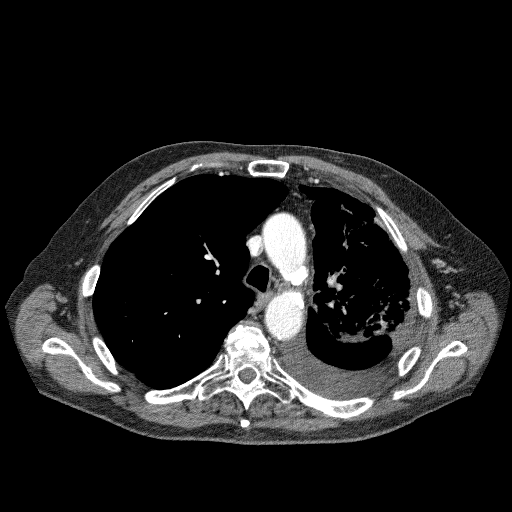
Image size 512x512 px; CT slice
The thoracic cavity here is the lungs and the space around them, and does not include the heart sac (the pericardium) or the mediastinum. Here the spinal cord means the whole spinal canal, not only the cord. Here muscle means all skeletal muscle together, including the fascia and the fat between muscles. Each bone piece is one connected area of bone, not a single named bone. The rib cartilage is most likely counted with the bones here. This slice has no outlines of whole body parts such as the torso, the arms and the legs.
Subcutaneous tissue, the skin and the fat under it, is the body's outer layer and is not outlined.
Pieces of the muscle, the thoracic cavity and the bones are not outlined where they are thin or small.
mediastinum: (292, 174) (311, 176) (329, 185) (298, 187) (314, 200) (310, 209) (315, 230) (311, 242) (312, 288) (317, 292) (307, 310) (303, 331) (288, 339) (276, 356) (260, 327) (251, 321) (239, 322) (255, 298) (243, 282) (250, 261) (246, 235) (288, 193) (282, 182) (269, 177)
spinal cord: (246, 368) (249, 368) (250, 369) (251, 369) (255, 373) (255, 376) (249, 382) (244, 382) (240, 378) (240, 377) (239, 376) (239, 373) (242, 370) (243, 370) (244, 369) (245, 369)
bones 1: (245, 322) (261, 329) (281, 367) (308, 390) (334, 400) (371, 396) (373, 404) (358, 415) (341, 418) (326, 415) (296, 398) (282, 403) (269, 393) (257, 395) (247, 410) (226, 390) (203, 400) (147, 402) (145, 391) (170, 389) (207, 369) (224, 350) (229, 331), around a hole outlined by (246, 368) (249, 368) (250, 369) (251, 369) (255, 373) (255, 376) (249, 382) (244, 382) (240, 378) (240, 377) (239, 376) (239, 373) (242, 370) (243, 370) (244, 369) (245, 369)
bones 2: (50, 337) (58, 337) (65, 341) (82, 361) (90, 367) (92, 373) (98, 379) (102, 381) (113, 382) (119, 385) (121, 390) (118, 392) (110, 392) (105, 388) (92, 382) (85, 376) (77, 361) (72, 356) (68, 354) (62, 353) (54, 354) (43, 351) (41, 348) (42, 343)
bones 3: (453, 340) (459, 340) (464, 343) (467, 347) (467, 350) (465, 352) (459, 356) (448, 356) (440, 359) (433, 367) (427, 381) (418, 390) (412, 393) (409, 393) (401, 398) (395, 400) (392, 399) (392, 395) (396, 390) (409, 389) (415, 386) (422, 379) (427, 368) (440, 350)
bones 4: (266, 158) (272, 158) (273, 159) (276, 159) (277, 160) (281, 160) (282, 161) (286, 161) (288, 162) (290, 166) (288, 171) (286, 173) (286, 175) (284, 177) (276, 177) (275, 176) (252, 176) (251, 175) (249, 175) (245, 169) (247, 164) (250, 161) (255, 159) (265, 159)
bones 5: (372, 204) (377, 204) (379, 205) (382, 208) (383, 208) (383, 209) (393, 219) (393, 220) (395, 222) (407, 246) (407, 252) (404, 255) (403, 255) (400, 252) (399, 249) (395, 245) (388, 231) (385, 228) (385, 226) (381, 218) (377, 214) (376, 211) (373, 208) (372, 206)
bones 6: (173, 176) (176, 176) (177, 177) (177, 180) (172, 185) (171, 185) (161, 193) (160, 193) (131, 224) (130, 224) (128, 226) (126, 226) (126, 222) (127, 220) (133, 213) (135, 209) (143, 200) (143, 199) (149, 193) (149, 192) (156, 186) (159, 185) (166, 180) (171, 178)
bones 7: (94, 335) (98, 335) (102, 338) (104, 343) (106, 345) (109, 351) (111, 353) (112, 356) (116, 361) (118, 365) (118, 375) (114, 375) (103, 364) (102, 361) (99, 358) (92, 344) (92, 337)
bones 8: (413, 345) (419, 345) (421, 347) (421, 351) (419, 354) (419, 356) (417, 360) (415, 362) (415, 363) (412, 366) (412, 367) (404, 375) (402, 376) (398, 376) (397, 374) (397, 363) (399, 359) (403, 355) (403, 354) (410, 347) (411, 347)
bones 9: (95, 263) (98, 263) (100, 264) (100, 270) (99, 271) (99, 275) (98, 276) (98, 278) (97, 279) (97, 281) (95, 285) (95, 288) (94, 289) (93, 294) (91, 296) (89, 297) (84, 297) (82, 293) (82, 282) (83, 281) (83, 276) (86, 270)
bones 10: (419, 286) (422, 286) (423, 287) (424, 287) (429, 292) (429, 293) (431, 296) (431, 302) (432, 303) (432, 309) (431, 310) (431, 314) (430, 315) (430, 316) (428, 318) (424, 318) (418, 313) (418, 308) (417, 307) (417, 297) (416, 296) (416, 292) (417, 291) (417, 288)
bones 11: (216, 160) (221, 161) (224, 163) (224, 165) (222, 167) (221, 167) (220, 168) (199, 168) (198, 169) (196, 169) (194, 171) (193, 171) (192, 172) (190, 172) (188, 170) (189, 167) (192, 164) (193, 164) (194, 163) (196, 163) (197, 162) (204, 162) (205, 161) (215, 161)
muscle 1: (293, 154) (314, 156) (371, 179) (439, 245) (419, 252) (433, 284) (442, 320) (453, 314) (464, 294) (469, 291) (484, 290) (492, 297) (498, 312) (495, 336) (483, 363) (465, 385) (412, 409) (308, 432) (280, 428) (246, 430) (250, 420) (245, 416) (239, 421) (241, 427) (222, 423) (183, 428) (141, 418) (114, 405) (100, 394) (73, 392) (59, 387) (32, 367) (15, 333) (15, 318) (20, 303) (38, 285) (49, 283) (61, 293) (74, 318) (78, 283) (85, 270) (81, 293) (84, 298) (91, 297) (93, 317) (100, 333) (91, 337) (92, 347) (114, 376) (119, 375) (119, 365) (144, 384) (148, 389) (142, 397) (149, 404) (165, 405) (196, 398) (203, 401) (226, 391) (241, 402) (245, 411) (262, 394) (269, 394) (282, 404) (289, 404) (296, 399) (333, 418) (349, 419) (371, 408) (376, 399) (368, 394) (384, 386) (396, 369) (398, 377) (404, 376) (418, 360) (422, 347) (419, 344) (412, 345) (412, 340) (418, 317) (428, 319) (432, 314) (432, 296) (424, 286) (416, 288) (404, 257) (408, 246) (396, 222) (384, 208) (377, 203) (371, 206) (317, 177) (287, 175) (290, 163) (275, 158), around holes outlined by (50, 337) (58, 337) (65, 341) (82, 361) (90, 367) (92, 373) (98, 379) (102, 381) (113, 382) (119, 385) (121, 390) (118, 392) (110, 392) (105, 388) (92, 382) (85, 376) (77, 361) (72, 356) (68, 354) (62, 353) (54, 354) (43, 351) (41, 348) (42, 343) and by (453, 340) (459, 340) (464, 343) (467, 347) (467, 350) (465, 352) (459, 356) (448, 356) (440, 359) (433, 367) (427, 381) (418, 390) (412, 393) (409, 393) (401, 398) (395, 400) (392, 399) (392, 395) (396, 390) (409, 389) (415, 386) (422, 379) (427, 368) (440, 350)
muscle 2: (225, 150) (266, 157) (250, 160) (244, 168) (248, 175) (220, 169) (192, 174) (179, 180) (176, 175) (166, 179) (152, 188) (134, 209) (124, 228) (111, 242) (101, 264) (95, 262) (86, 269) (104, 237) (105, 229) (99, 229) (99, 226) (130, 190) (150, 175) (178, 160); inner edge: (216, 160) (221, 161) (224, 163) (224, 165) (222, 167) (221, 167) (220, 168) (199, 168) (198, 169) (196, 169) (194, 171) (193, 171) (192, 172) (190, 172) (188, 170) (189, 167) (192, 164) (193, 164) (194, 163) (196, 163) (197, 162) (204, 162) (205, 161) (215, 161)
thoracic cavity 1: (220, 170) (244, 176) (268, 177) (287, 188) (285, 197) (278, 205) (245, 235) (249, 261) (242, 282) (253, 292) (253, 302) (228, 331) (221, 345) (223, 350) (207, 368) (170, 388) (149, 388) (118, 364) (98, 328) (92, 296) (101, 265) (112, 242) (160, 194) (189, 176)
thoracic cavity 2: (300, 185) (331, 185) (369, 205) (413, 278) (419, 315) (411, 346) (398, 359) (387, 382) (367, 395) (349, 399) (320, 395) (289, 374) (277, 357) (288, 340) (304, 331) (308, 310) (314, 306) (318, 292) (313, 288) (312, 242) (316, 230) (311, 209) (315, 200) (301, 191)